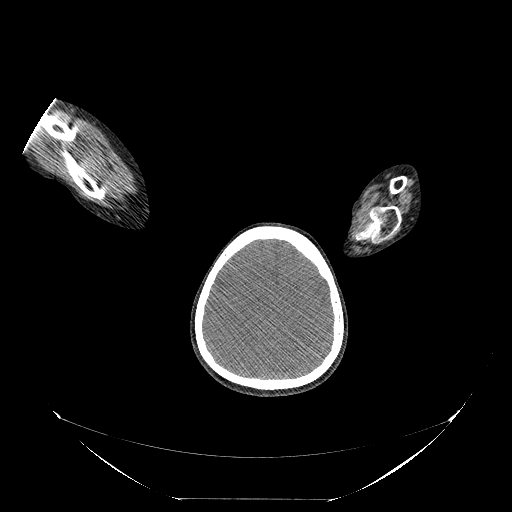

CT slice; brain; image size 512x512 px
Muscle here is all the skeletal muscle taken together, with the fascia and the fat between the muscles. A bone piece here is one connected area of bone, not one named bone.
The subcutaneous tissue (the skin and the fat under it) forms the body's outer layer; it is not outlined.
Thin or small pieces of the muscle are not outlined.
The head is outlined by [[262,221],[277,221],[291,224],[305,230],[315,238],[327,255],[333,268],[343,292],[348,313],[349,330],[347,346],[337,369],[326,381],[317,387],[285,397],[251,396],[221,385],[204,370],[196,359],[189,335],[192,301],[208,268],[222,248],[240,230]]. The right arm is outlined by [[54,99],[61,99],[71,102],[92,113],[107,125],[115,133],[132,154],[141,170],[145,181],[149,199],[150,220],[146,227],[142,229],[129,229],[105,221],[83,207],[65,187],[53,180],[46,179],[42,177],[29,168],[23,155],[25,145],[39,119]]. The bones appear in 5 outlined pieces: piece 1: [[259,225],[288,227],[308,237],[317,246],[329,265],[340,296],[344,325],[340,350],[333,363],[322,375],[317,379],[298,387],[263,390],[231,382],[216,373],[206,363],[201,356],[196,343],[194,332],[196,304],[213,262],[228,242],[234,237],[248,228]] with a hole at [[259,240],[278,240],[287,242],[316,268],[318,274],[325,281],[327,286],[332,317],[331,341],[327,352],[319,363],[310,370],[299,375],[285,377],[260,377],[243,375],[218,362],[208,348],[205,339],[203,330],[205,308],[219,272],[235,254],[252,242]]; piece 2: [[388,205],[396,205],[402,211],[402,221],[399,230],[390,239],[388,239],[385,241],[376,244],[372,243],[369,239],[363,239],[359,241],[355,240],[353,235],[356,232],[362,230],[365,227],[365,225],[369,219],[368,213],[371,208],[375,206],[387,206]]; piece 3: [[64,150],[70,152],[74,158],[80,163],[80,165],[89,172],[91,176],[96,181],[97,184],[99,186],[102,186],[103,191],[105,193],[104,200],[98,201],[95,198],[88,197],[85,195],[84,192],[73,181],[71,176],[65,170],[62,162],[62,154]]; piece 4: [[43,113],[48,113],[52,115],[59,115],[62,117],[62,118],[68,123],[69,127],[71,128],[72,131],[74,133],[74,139],[69,139],[68,140],[66,140],[61,138],[54,138],[49,133],[45,131],[43,128],[39,125],[38,123],[38,121]]; piece 5: [[402,174],[404,174],[405,175],[406,175],[410,179],[410,180],[407,182],[407,183],[405,185],[405,186],[400,191],[399,191],[397,193],[395,193],[394,194],[391,194],[389,191],[389,181],[392,178],[393,178],[396,176],[398,176],[399,175],[401,175]]. The brain is outlined by [[259,240],[278,240],[287,242],[316,268],[318,274],[325,281],[327,286],[332,317],[331,341],[327,352],[319,363],[310,370],[299,375],[285,377],[260,377],[243,375],[218,362],[208,348],[205,339],[203,330],[205,308],[219,272],[235,254],[252,242]]. The muscle appears in 2 outlined pieces: piece 1: [[46,109],[74,113],[93,123],[105,135],[130,169],[136,181],[137,192],[126,210],[111,210],[84,198],[72,186],[45,170],[34,159],[29,150],[28,139],[37,123],[54,139],[66,141],[75,139],[75,133],[69,123],[59,114],[44,112]], around a hole outlined by [[64,150],[70,152],[74,158],[80,163],[80,165],[89,172],[91,176],[96,181],[97,184],[99,186],[102,186],[103,191],[105,193],[104,200],[98,201],[95,198],[88,197],[85,195],[84,192],[73,181],[71,176],[65,170],[62,162],[62,154]]; piece 2: [[404,173],[411,174],[415,179],[411,219],[400,230],[403,211],[396,204],[371,207],[364,227],[352,236],[357,242],[369,240],[376,245],[358,251],[349,243],[349,237],[362,200],[371,186],[389,174],[401,174],[388,181],[389,193],[397,194],[411,180]]. The left arm is outlined by [[402,163],[410,164],[414,166],[419,175],[419,181],[421,186],[421,209],[419,217],[415,225],[401,239],[372,255],[365,257],[348,257],[344,255],[342,252],[342,244],[350,225],[350,214],[354,201],[358,197],[366,184],[375,175],[392,165]].